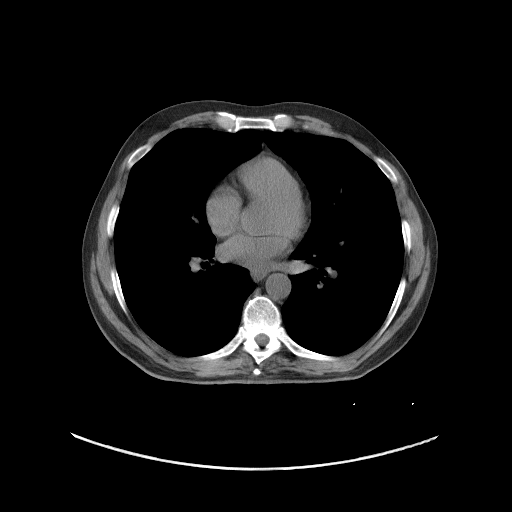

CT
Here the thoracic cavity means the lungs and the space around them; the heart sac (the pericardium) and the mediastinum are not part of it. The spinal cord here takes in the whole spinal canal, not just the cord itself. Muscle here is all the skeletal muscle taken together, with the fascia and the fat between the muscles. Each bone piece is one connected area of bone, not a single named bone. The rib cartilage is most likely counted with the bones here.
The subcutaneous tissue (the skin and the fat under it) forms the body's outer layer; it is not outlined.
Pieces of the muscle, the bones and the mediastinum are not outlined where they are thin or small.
The bones appear in 9 outlined pieces: piece 1: [[255,295],[263,295],[275,304],[280,312],[286,333],[296,343],[317,353],[336,356],[339,360],[327,361],[301,357],[284,346],[258,364],[248,352],[240,347],[229,355],[216,359],[191,360],[191,357],[219,349],[236,334],[241,323],[244,305],[248,299]], around a hole outlined by [[259,334],[264,334],[265,335],[266,335],[267,336],[267,337],[268,338],[268,341],[263,346],[261,346],[260,345],[259,345],[256,342],[256,341],[255,340],[255,337],[257,335],[258,335]]; piece 2: [[218,110],[226,111],[241,116],[266,117],[267,118],[272,118],[275,114],[278,113],[285,113],[290,115],[294,119],[295,122],[290,128],[282,131],[274,131],[270,129],[264,129],[263,128],[243,128],[237,131],[227,131],[220,128],[214,120],[215,113]]; piece 3: [[402,277],[405,278],[406,280],[406,285],[404,289],[404,292],[401,301],[396,311],[396,313],[394,315],[388,326],[383,331],[383,332],[374,341],[373,341],[373,339],[375,337],[378,330],[386,318],[386,316],[390,309],[390,307],[394,299],[400,280]]; piece 4: [[113,266],[116,268],[118,274],[118,277],[119,278],[119,281],[120,282],[120,285],[121,286],[121,289],[123,293],[123,296],[126,305],[128,308],[128,313],[127,314],[126,314],[121,308],[116,298],[115,292],[113,289],[113,286],[110,277],[110,270]]; piece 5: [[148,142],[150,142],[153,144],[152,147],[141,158],[140,158],[130,168],[130,169],[127,169],[125,167],[125,164],[126,163],[126,161],[128,159],[129,156],[132,153],[132,152],[136,148],[137,148],[139,146],[140,146],[145,143],[147,143]]; piece 6: [[114,203],[118,203],[119,204],[119,210],[118,211],[118,214],[117,215],[117,217],[115,221],[115,224],[114,225],[113,236],[112,237],[109,237],[107,235],[107,231],[106,230],[106,227],[107,226],[107,217],[108,216],[109,211],[112,205]]; piece 7: [[375,156],[378,156],[384,161],[385,161],[386,162],[386,163],[393,170],[394,173],[397,177],[397,182],[396,183],[395,183],[394,184],[393,183],[392,183],[384,174],[384,173],[380,169],[380,168],[376,164],[376,163],[373,160],[373,157],[374,157]]; piece 8: [[304,122],[309,122],[310,123],[313,123],[316,125],[318,125],[322,127],[325,127],[330,130],[332,130],[336,134],[336,136],[331,136],[330,135],[325,135],[324,134],[319,134],[318,133],[316,133],[312,131],[308,131],[307,130],[304,130],[301,126]]; piece 9: [[401,219],[405,219],[408,222],[408,223],[409,224],[409,227],[410,228],[410,237],[411,238],[411,246],[410,247],[410,250],[408,253],[407,253],[405,251],[405,249],[404,248],[404,244],[403,243],[403,236],[402,235],[402,228],[401,227]]. The pericardium is outlined by [[263,149],[267,149],[281,158],[295,173],[304,185],[308,202],[308,221],[301,238],[287,256],[285,263],[281,267],[270,269],[251,268],[228,260],[224,252],[218,246],[218,240],[213,233],[206,216],[206,202],[208,197],[222,177],[232,168]]. The muscle appears in 3 outlined pieces: piece 1: [[131,152],[124,164],[129,171],[120,202],[111,205],[106,217],[106,235],[113,239],[115,261],[109,277],[122,311],[127,315],[129,310],[150,338],[175,355],[190,357],[191,361],[211,361],[229,356],[240,348],[258,365],[284,347],[301,358],[337,362],[340,360],[337,356],[354,351],[376,332],[372,339],[374,342],[389,326],[402,301],[407,285],[406,278],[402,276],[404,254],[408,254],[412,246],[410,224],[401,218],[392,184],[398,182],[398,177],[382,158],[403,177],[429,240],[430,271],[422,296],[401,327],[347,372],[259,375],[261,370],[255,367],[252,370],[254,376],[202,377],[164,366],[128,341],[107,320],[90,284],[90,260],[97,248],[101,209],[121,163]]; piece 2: [[205,111],[215,111],[213,120],[215,124],[219,128],[216,127],[209,127],[208,126],[185,126],[184,127],[179,127],[173,129],[171,131],[168,132],[154,144],[150,141],[145,142],[150,136],[156,132],[166,128],[172,122],[186,116],[195,113],[204,112]]; piece 3: [[291,115],[308,115],[321,119],[329,123],[335,130],[348,134],[361,142],[377,155],[373,156],[372,159],[349,141],[343,138],[337,137],[337,134],[332,129],[316,124],[313,122],[304,121],[300,126],[302,129],[300,130],[289,129],[296,122],[295,119]]. The torso is outlined by [[204,99],[247,105],[302,101],[337,110],[367,128],[390,150],[411,178],[436,230],[435,282],[423,318],[409,341],[365,375],[325,383],[207,385],[169,381],[137,367],[100,331],[86,300],[81,267],[82,239],[94,200],[119,149],[144,119],[170,105]]. The mediastinum appears in 4 outlined pieces: piece 1: [[217,240],[217,246],[228,261],[231,261],[251,269],[270,270],[281,268],[289,256],[291,260],[289,267],[293,272],[289,276],[291,289],[280,309],[269,297],[263,294],[255,294],[247,299],[256,287],[249,271],[245,267],[240,265],[229,262],[224,262],[222,255],[216,253],[215,246]]; piece 2: [[304,183],[308,190],[308,192],[310,196],[310,223],[302,239],[300,241],[300,240],[302,238],[304,234],[304,232],[306,230],[306,228],[308,225],[308,222],[309,221],[309,202],[308,201],[308,196],[307,195],[307,191],[306,190],[306,188],[305,187]]; piece 3: [[284,160],[285,161],[286,161],[291,166],[292,166],[296,170],[298,175],[301,178],[302,181],[298,177],[298,176],[296,174],[296,173],[290,167],[290,166],[289,165],[288,165],[288,164],[287,163],[286,163],[286,162],[285,161],[284,161]]; piece 4: [[263,140],[264,141],[264,142],[266,144],[266,145],[272,151],[271,151],[269,149],[268,149],[267,148],[263,148],[262,149],[261,149],[261,143],[262,142],[262,141]]. The thoracic cavity is outlined by [[185,127],[303,130],[343,139],[375,163],[393,188],[404,253],[389,309],[364,343],[325,354],[283,325],[290,255],[311,223],[311,196],[263,139],[205,202],[215,253],[255,285],[235,334],[215,350],[182,356],[140,327],[116,267],[115,225],[131,168]]. The spinal cord is outlined by [[259,334],[264,334],[265,335],[266,335],[267,336],[267,337],[268,338],[268,341],[263,346],[261,346],[260,345],[259,345],[256,342],[256,341],[255,340],[255,337],[257,335],[258,335]].